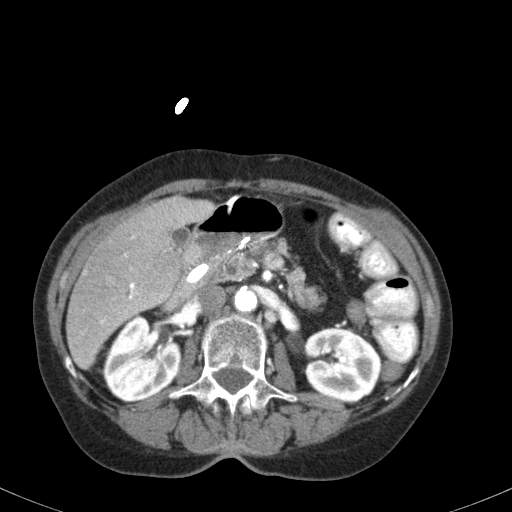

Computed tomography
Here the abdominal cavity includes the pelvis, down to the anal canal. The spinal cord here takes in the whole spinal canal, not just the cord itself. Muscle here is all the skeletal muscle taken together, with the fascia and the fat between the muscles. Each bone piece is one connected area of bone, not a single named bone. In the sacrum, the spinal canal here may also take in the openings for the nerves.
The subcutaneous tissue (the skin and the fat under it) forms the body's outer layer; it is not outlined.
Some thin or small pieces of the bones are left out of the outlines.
The torso is outlined by [[196,147],[290,153],[341,170],[391,199],[435,252],[453,314],[447,367],[409,430],[371,467],[342,479],[310,481],[259,474],[225,458],[186,477],[127,475],[95,462],[67,431],[39,372],[32,324],[34,287],[45,253],[65,221],[102,186],[155,156]]. The abdominal cavity is outlined by [[241,186],[336,211],[403,264],[423,299],[424,327],[419,355],[401,384],[351,407],[298,391],[279,341],[268,380],[266,336],[240,314],[204,330],[202,363],[197,344],[187,339],[177,384],[149,399],[117,402],[77,372],[62,315],[108,223],[166,193]]. The muscle is outlined by [[261,177],[285,179],[304,183],[323,189],[348,201],[383,207],[390,210],[409,229],[418,241],[432,267],[440,296],[441,323],[437,344],[431,357],[431,361],[423,371],[418,384],[399,406],[384,415],[348,428],[337,436],[321,443],[307,447],[304,446],[301,448],[289,449],[266,457],[257,456],[238,445],[228,445],[219,450],[208,452],[202,455],[196,455],[193,453],[170,453],[160,449],[148,447],[130,437],[101,412],[86,405],[76,395],[68,381],[66,370],[61,363],[61,359],[50,337],[46,309],[47,290],[58,258],[71,236],[84,222],[106,211],[123,206],[124,204],[139,198],[147,192],[165,183],[186,178],[211,178],[220,180],[229,180],[234,178],[247,180]]; inner edges: [[241,186],[336,211],[403,264],[424,327],[420,371],[399,392],[347,407],[298,391],[279,341],[268,381],[298,399],[271,398],[265,414],[168,396],[201,374],[190,338],[177,384],[136,403],[65,367],[66,298],[108,223],[166,193]], then [[428,294],[429,295],[430,295],[430,296],[431,297],[431,299],[433,302],[433,314],[434,315],[432,317],[430,317],[427,315],[427,308],[426,307],[427,306],[427,304],[426,303],[426,300],[427,299],[427,296],[428,295]], then [[64,271],[66,271],[68,273],[68,275],[67,276],[67,278],[66,279],[66,280],[65,281],[65,285],[64,286],[64,287],[61,290],[60,289],[60,287],[59,286],[59,281],[60,280],[60,277],[62,275],[62,274],[63,273],[63,272]]. The spinal cord is outlined by [[225,368],[232,368],[233,369],[241,369],[247,372],[250,375],[251,375],[252,376],[252,378],[246,385],[241,387],[235,392],[232,393],[228,390],[227,390],[224,387],[220,385],[214,377],[214,373],[219,371],[221,369],[224,369]]. The bones appear in 2 outlined pieces: piece 1: [[232,315],[246,317],[262,330],[267,341],[266,379],[277,388],[295,394],[296,401],[271,398],[265,414],[254,410],[243,414],[238,409],[231,416],[223,404],[213,413],[210,407],[204,407],[192,395],[175,399],[168,396],[200,376],[205,330],[214,321]] with a hole at [[225,368],[232,368],[233,369],[241,369],[247,372],[250,375],[251,375],[252,376],[252,378],[246,385],[241,387],[235,392],[232,393],[228,390],[227,390],[224,387],[220,385],[214,377],[214,373],[219,371],[221,369],[224,369]]; piece 2: [[415,366],[417,366],[420,369],[420,371],[414,377],[414,378],[404,388],[403,388],[399,392],[398,392],[395,394],[393,394],[395,389],[397,387],[398,387],[400,385],[401,385],[404,382],[404,381],[408,377],[409,374]].